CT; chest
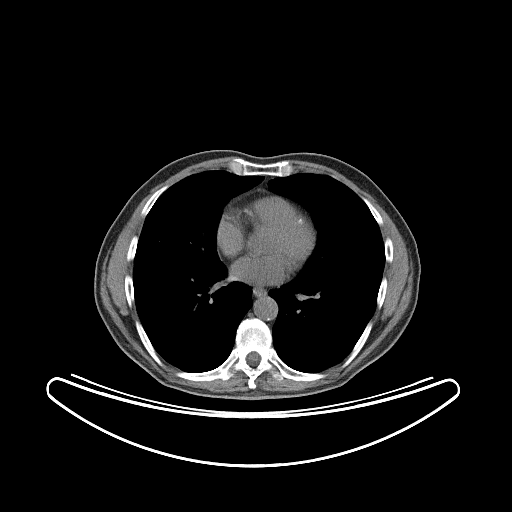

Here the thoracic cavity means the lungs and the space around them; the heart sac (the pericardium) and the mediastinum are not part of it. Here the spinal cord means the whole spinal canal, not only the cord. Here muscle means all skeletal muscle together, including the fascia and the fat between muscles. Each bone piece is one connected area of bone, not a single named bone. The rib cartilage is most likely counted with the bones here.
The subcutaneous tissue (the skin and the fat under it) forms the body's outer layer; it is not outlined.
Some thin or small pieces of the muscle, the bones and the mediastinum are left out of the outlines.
{"pericardium":[[[258,188],[263,188],[274,194],[285,197],[301,206],[309,214],[316,230],[315,245],[309,257],[298,273],[290,281],[288,281],[278,287],[268,287],[267,286],[255,285],[234,279],[228,272],[224,262],[220,259],[217,251],[217,229],[224,210],[236,198]]],"spinal_cord":[[[251,352],[256,352],[259,355],[259,356],[260,357],[260,359],[259,360],[259,362],[255,366],[252,366],[251,365],[250,365],[249,364],[248,364],[247,363],[247,362],[246,361],[246,357],[247,356],[247,355],[249,353],[250,353]]],"torso":[[[206,150],[236,150],[263,157],[290,152],[335,157],[366,174],[407,223],[416,241],[421,265],[413,315],[394,345],[343,385],[311,395],[276,399],[194,395],[157,381],[130,359],[111,337],[93,295],[96,258],[106,232],[131,195],[155,172],[178,158]]],"muscle":[[[228,156],[234,156],[227,163],[227,169],[206,169],[189,174],[170,186],[168,184],[163,185],[149,196],[140,211],[140,216],[144,219],[140,232],[138,235],[135,234],[131,237],[126,252],[126,260],[128,262],[132,261],[132,274],[127,273],[124,276],[124,293],[127,305],[131,308],[134,304],[138,316],[138,319],[134,321],[136,332],[146,351],[159,366],[164,366],[161,358],[179,370],[174,373],[177,377],[196,382],[212,381],[217,379],[226,381],[237,371],[242,371],[248,377],[247,386],[250,389],[247,391],[217,392],[169,381],[154,369],[130,345],[105,309],[100,295],[100,281],[103,263],[111,243],[119,235],[136,207],[153,187],[190,165],[209,159]],[[289,160],[307,161],[332,168],[375,199],[396,226],[405,243],[406,248],[410,250],[413,267],[412,292],[410,301],[403,315],[382,341],[357,365],[335,381],[295,391],[262,389],[253,390],[257,386],[255,380],[266,371],[270,372],[272,377],[279,381],[283,379],[290,379],[294,381],[311,382],[324,378],[327,375],[322,372],[342,362],[340,367],[342,369],[346,367],[356,357],[370,335],[373,327],[371,318],[376,308],[379,310],[382,307],[387,292],[388,280],[383,275],[385,263],[391,263],[394,257],[394,246],[392,239],[389,236],[383,238],[380,229],[380,227],[384,224],[383,218],[379,211],[366,197],[360,197],[333,174],[329,175],[310,171],[294,172],[294,166]]],"mediastinum":[[[247,284],[255,286],[260,286],[261,287],[267,287],[268,288],[277,288],[272,288],[268,291],[268,294],[275,300],[278,306],[277,315],[271,329],[263,320],[258,317],[246,317],[243,318],[247,313],[248,310],[252,306],[253,303],[252,300],[252,288]],[[265,175],[275,177],[270,179],[267,182],[266,186],[267,189],[263,187],[258,187],[255,189],[252,189],[250,191],[248,191],[246,193],[244,193],[233,199],[225,207],[223,211],[224,207],[232,198],[246,192],[257,185],[263,180],[264,178],[263,176]]],"bones":[{"outer":[[246,318],[258,318],[269,327],[272,346],[289,367],[326,375],[311,381],[279,380],[266,370],[254,380],[253,389],[248,386],[249,377],[242,370],[235,371],[226,380],[196,381],[177,376],[175,373],[180,370],[197,373],[219,366],[234,347],[237,328]],"hole":[[251,352],[256,352],[259,355],[259,356],[260,357],[260,359],[259,360],[259,362],[255,366],[252,366],[251,365],[250,365],[249,364],[248,364],[247,363],[247,362],[246,361],[246,357],[247,356],[247,355],[249,353],[250,353]]},[[234,157],[239,157],[245,160],[260,164],[267,164],[282,160],[288,160],[293,166],[294,169],[293,170],[293,173],[285,176],[274,176],[273,175],[266,175],[265,174],[264,175],[261,174],[256,174],[255,175],[238,175],[228,170],[228,163]],[[370,320],[372,322],[372,327],[369,333],[369,335],[367,339],[365,341],[363,346],[358,352],[358,353],[355,356],[355,357],[346,366],[342,368],[341,366],[343,362],[346,359],[346,358],[351,352],[353,347],[355,345],[356,342],[360,337],[365,327]],[[136,320],[138,320],[140,322],[152,346],[154,348],[155,351],[157,353],[158,356],[163,363],[163,366],[159,365],[156,362],[156,361],[150,355],[150,354],[147,351],[147,350],[143,345],[139,337],[139,335],[137,332],[137,330],[135,326],[135,321]],[[165,185],[168,185],[168,187],[160,194],[160,195],[154,202],[153,205],[151,207],[151,208],[149,210],[145,217],[144,218],[142,217],[141,216],[141,211],[144,205],[146,203],[150,196],[155,191],[156,191],[158,189],[161,188]],[[127,274],[128,274],[129,275],[130,275],[132,277],[132,283],[133,284],[133,295],[134,296],[134,303],[132,305],[132,306],[131,307],[130,307],[128,305],[128,302],[127,301],[127,298],[126,297],[126,294],[125,293],[125,276]],[[383,276],[384,276],[387,280],[387,286],[386,287],[386,292],[385,293],[385,296],[384,297],[382,305],[379,309],[377,307],[377,296],[378,295],[378,291],[379,290],[379,287],[380,286],[380,284],[381,283],[381,281],[382,280]],[[386,237],[389,237],[391,239],[391,241],[392,242],[392,245],[393,246],[393,257],[392,258],[392,260],[391,261],[391,262],[386,262],[386,261],[385,260],[385,247],[384,246],[384,239]],[[135,235],[138,236],[138,239],[137,240],[137,245],[136,246],[136,249],[135,250],[135,254],[134,255],[134,258],[133,259],[133,260],[132,260],[131,261],[128,261],[127,260],[127,252],[128,251],[129,244],[130,243],[130,241],[131,240],[132,237]],[[361,197],[364,197],[365,198],[366,198],[378,211],[378,212],[380,214],[380,215],[382,218],[382,220],[383,221],[383,224],[382,225],[381,225],[380,226],[378,224],[378,223],[374,218],[372,213],[370,211],[368,206],[365,203],[365,202],[361,198]]],"thoracic_cavity":[[[219,169],[238,176],[263,177],[257,184],[227,202],[216,229],[218,257],[232,280],[251,288],[252,303],[236,328],[234,345],[227,357],[214,368],[197,372],[185,371],[170,364],[158,354],[139,319],[135,305],[133,261],[144,220],[161,194],[189,175]],[[299,172],[328,175],[352,190],[379,226],[384,247],[385,262],[373,314],[348,355],[321,372],[306,372],[289,366],[273,346],[272,328],[279,306],[269,291],[290,282],[300,272],[316,245],[317,230],[310,214],[300,204],[270,191],[267,186],[276,177]]]}